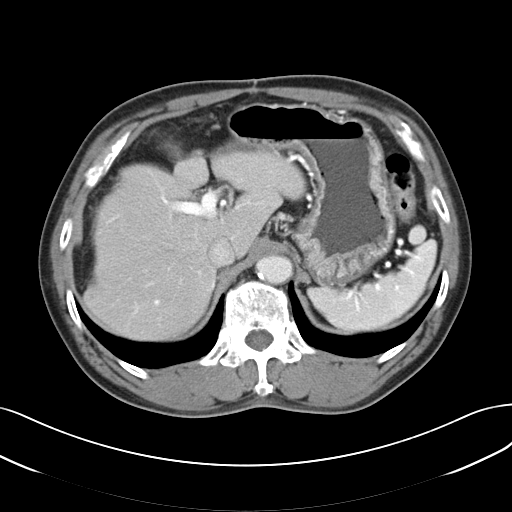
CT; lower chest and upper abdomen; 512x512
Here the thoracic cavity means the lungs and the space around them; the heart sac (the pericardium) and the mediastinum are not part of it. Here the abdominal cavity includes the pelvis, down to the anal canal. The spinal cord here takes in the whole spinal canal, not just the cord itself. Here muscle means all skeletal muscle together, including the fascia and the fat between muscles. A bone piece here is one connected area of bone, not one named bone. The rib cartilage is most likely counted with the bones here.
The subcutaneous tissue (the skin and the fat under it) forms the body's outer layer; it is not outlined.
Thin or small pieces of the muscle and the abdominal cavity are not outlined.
{"mediastinum":[[[266,243],[270,243],[275,246],[278,250],[286,253],[296,264],[294,275],[287,286],[287,292],[280,287],[276,287],[258,279],[250,279],[245,280],[236,285],[228,290],[225,294],[224,290],[226,285],[238,275],[244,265],[252,256],[255,250],[258,247]]],"torso":[[[289,74],[335,75],[374,85],[410,104],[433,130],[460,188],[472,242],[469,285],[447,336],[409,379],[377,402],[350,413],[256,407],[192,418],[145,410],[115,398],[77,365],[50,318],[39,284],[40,235],[69,163],[91,128],[138,94],[183,81]]],"abdominal_cavity":[[[257,92],[363,112],[395,131],[417,160],[440,218],[442,268],[429,297],[407,321],[385,331],[323,331],[310,323],[294,289],[296,262],[266,242],[225,285],[207,323],[191,337],[156,343],[108,333],[86,315],[73,292],[71,253],[90,192],[146,127]]],"spinal_cord":[[[258,330],[265,330],[267,332],[268,332],[272,336],[272,340],[271,341],[271,342],[266,347],[265,347],[263,349],[262,349],[261,350],[257,350],[256,349],[249,346],[246,343],[246,341],[245,340],[246,339],[246,337],[251,331],[257,331]]],"muscle":[{"outer":[[252,86],[340,91],[409,116],[430,141],[452,199],[458,221],[459,264],[440,326],[414,360],[377,390],[350,405],[309,406],[272,395],[274,386],[267,378],[267,364],[272,358],[284,365],[291,364],[303,355],[315,354],[318,349],[352,358],[379,354],[375,361],[381,364],[406,346],[430,309],[438,309],[445,301],[450,279],[442,264],[440,219],[449,224],[450,212],[441,189],[436,184],[427,189],[418,163],[426,160],[422,143],[414,137],[409,124],[399,118],[395,119],[397,128],[393,130],[379,118],[363,111],[266,91],[242,92],[156,121],[142,129],[127,145],[132,131],[126,129],[107,146],[102,158],[83,174],[84,185],[92,189],[83,207],[81,231],[70,253],[72,289],[65,290],[66,308],[76,327],[87,329],[115,356],[123,369],[144,380],[149,377],[144,368],[163,368],[193,360],[204,367],[220,363],[236,368],[253,360],[257,369],[253,391],[261,396],[253,395],[202,411],[174,409],[149,401],[98,372],[83,356],[62,314],[52,278],[50,243],[71,182],[96,137],[130,115],[180,96]],"hole":[[69,217],[72,218],[72,219],[73,220],[73,227],[70,232],[70,240],[68,242],[66,247],[63,250],[61,250],[59,247],[59,238],[60,237],[61,230],[62,229],[62,227],[63,226],[63,223],[64,222],[64,221],[67,218],[68,218]]}],"thoracic_cavity":[[[221,296],[224,296],[222,321],[216,340],[212,347],[205,354],[197,359],[184,361],[163,367],[141,367],[116,356],[103,345],[87,328],[80,316],[76,303],[77,302],[85,315],[94,324],[108,334],[132,342],[170,344],[187,340],[203,329],[212,316]],[[440,275],[439,287],[435,299],[411,335],[407,339],[383,352],[370,356],[345,356],[312,346],[301,335],[291,312],[290,299],[288,295],[288,286],[291,282],[303,313],[309,323],[315,328],[338,336],[357,336],[381,333],[400,326],[415,315],[430,297]]],"bones":[{"outer":[[250,280],[258,280],[287,293],[290,312],[300,335],[317,349],[291,363],[284,364],[275,357],[270,358],[266,364],[266,378],[273,390],[264,396],[254,391],[258,369],[253,359],[236,367],[220,362],[204,366],[197,362],[217,340],[223,321],[225,295]],"hole":[[258,330],[265,330],[267,332],[268,332],[272,336],[272,340],[271,341],[271,342],[266,347],[265,347],[263,349],[262,349],[261,350],[257,350],[256,349],[249,346],[246,343],[246,341],[245,340],[246,339],[246,337],[251,331],[257,331]]},[[128,129],[130,129],[131,132],[128,136],[125,144],[114,158],[108,169],[105,173],[101,176],[97,183],[93,187],[91,188],[86,186],[85,185],[85,177],[84,176],[84,174],[86,170],[94,163],[99,162],[108,151],[108,146],[112,144],[126,130]],[[396,119],[402,120],[407,123],[412,130],[413,137],[415,139],[417,139],[421,143],[422,149],[423,150],[423,153],[425,157],[425,160],[424,161],[420,161],[418,160],[410,153],[406,145],[400,136],[398,135],[396,132],[396,130],[398,128],[396,125]],[[433,185],[436,185],[441,191],[442,196],[445,201],[445,203],[447,206],[447,208],[449,212],[449,216],[450,217],[450,221],[449,223],[445,223],[443,220],[441,219],[440,216],[438,214],[438,212],[432,203],[432,201],[428,196],[428,192]],[[68,288],[70,288],[72,290],[73,296],[74,297],[75,303],[76,304],[76,308],[77,309],[77,311],[79,314],[79,316],[82,322],[86,327],[86,330],[80,329],[77,327],[68,311],[68,309],[67,308],[67,304],[66,303],[66,290]],[[443,268],[444,269],[446,269],[448,274],[448,278],[449,279],[448,287],[447,288],[447,293],[446,294],[445,299],[442,304],[438,308],[434,310],[432,310],[431,308],[436,299],[437,294],[439,291],[440,283],[441,282],[441,274],[442,273],[442,269]],[[69,217],[72,218],[73,220],[73,227],[70,232],[70,238],[69,239],[69,241],[66,247],[63,250],[61,250],[59,247],[59,238],[60,237],[61,230],[63,226],[63,223],[64,221],[67,218]],[[116,357],[117,357],[130,364],[132,364],[135,366],[137,366],[138,367],[143,368],[147,372],[147,373],[148,374],[148,377],[147,378],[144,379],[143,378],[138,377],[137,376],[130,373],[124,368],[123,368],[117,362],[117,361],[116,360]],[[406,340],[407,340],[407,343],[405,345],[405,346],[401,350],[400,350],[394,356],[391,357],[389,359],[388,359],[381,363],[378,363],[376,361],[376,360],[378,358],[378,357],[380,355],[380,354],[383,353],[385,351],[392,348],[394,346],[395,346]]]}